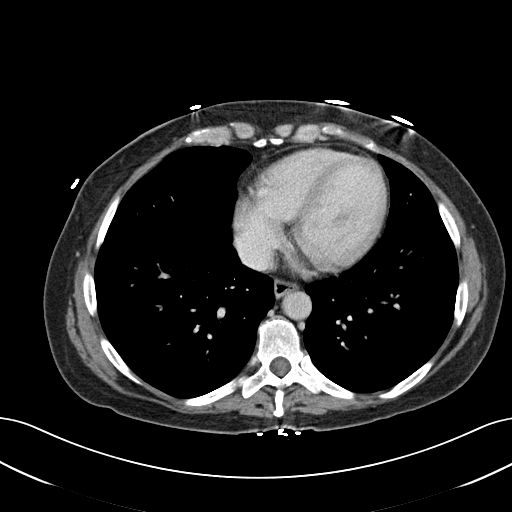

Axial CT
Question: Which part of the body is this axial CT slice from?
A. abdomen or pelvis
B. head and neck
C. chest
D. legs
Answer: C. chest
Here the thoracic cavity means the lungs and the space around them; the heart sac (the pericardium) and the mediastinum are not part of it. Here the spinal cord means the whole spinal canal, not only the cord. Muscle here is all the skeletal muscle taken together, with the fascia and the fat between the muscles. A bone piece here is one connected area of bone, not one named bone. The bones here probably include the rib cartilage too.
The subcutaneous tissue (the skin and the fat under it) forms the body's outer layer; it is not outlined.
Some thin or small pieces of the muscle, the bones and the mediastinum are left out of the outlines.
The muscle appears in 4 outlined pieces: piece 1: 187,134 183,140 187,146 168,153 140,177 122,197 117,193 108,204 98,227 94,244 94,250 97,254 93,274 85,270 82,277 84,303 88,313 92,317 98,316 99,318 105,334 99,337 99,344 105,356 119,372 132,382 141,386 145,385 145,382 170,396 183,399 182,403 190,407 210,404 233,393 237,388 240,388 242,397 246,399 263,386 269,385 274,388 274,409 272,411 274,417 272,418 244,415 236,410 221,413 183,413 155,402 123,394 98,377 82,361 66,330 65,317 68,299 74,290 76,265 99,216 114,193 135,169 169,146 174,140; piece 2: 375,142 419,167 457,208 485,266 487,295 481,318 453,357 425,381 394,400 374,407 283,416 284,389 294,383 312,394 323,392 346,400 353,400 356,393 383,391 377,394 380,399 401,395 427,374 435,362 432,356 451,326 458,328 465,317 468,281 459,280 456,251 461,239 453,215 442,201 436,203 424,183 403,162 391,158; piece 3: 292,122 301,122 302,123 307,123 308,122 313,122 314,123 317,123 318,122 331,122 332,123 335,123 336,124 342,125 350,130 356,131 360,134 367,136 372,139 368,139 362,136 360,136 357,134 351,133 348,131 346,131 342,129 340,127 336,127 331,124 325,124 324,125 320,126 317,123 303,123 302,124 299,124 295,126 292,123 290,123; piece 4: 233,121 242,121 243,122 247,122 251,124 254,124 255,125 257,125 259,126 262,129 264,130 267,130 270,128 272,128 276,126 278,124 282,124 280,125 278,125 274,127 272,130 272,133 270,135 268,136 264,136 263,135 261,135 260,136 258,136 256,137 256,130 255,128 252,125 248,123 244,123 243,122 237,122 236,121. The pericardium is outlined by 333,143 358,147 369,153 381,166 385,174 389,188 389,207 385,224 375,243 359,260 338,274 308,281 287,273 261,270 244,263 234,245 232,231 232,216 238,195 237,184 242,176 260,158 278,150 297,145. The torso is outlined by 247,99 329,102 394,122 436,145 471,184 497,229 505,257 506,280 490,347 461,387 421,408 347,428 220,434 171,428 122,416 86,402 64,381 46,336 43,288 52,250 84,180 119,148 159,124 212,104. The mediastinum appears in 2 outlined pieces: piece 1: 244,264 261,271 287,274 305,282 314,279 323,278 316,279 308,283 305,286 305,292 310,297 312,306 311,312 305,321 301,338 294,324 283,317 274,317 262,321 269,310 274,305 275,295 273,289 273,280 270,276 248,267; piece 2: 285,139 295,143 312,143 329,139 343,140 377,154 378,162 369,152 354,145 336,142 297,144 263,155 238,181 242,172 251,162 252,156 248,151 230,145 233,142 249,140 253,146 262,148 268,144 281,145. The spinal cord is outlined by 277,357 282,357 283,358 286,359 288,361 288,362 290,365 290,368 289,369 289,370 284,375 283,375 282,376 278,376 275,373 274,373 271,370 271,369 270,368 270,364 271,363 271,362 275,358 276,358. The thoracic cavity appears in 2 outlined pieces: piece 1: 198,145 231,146 244,150 251,156 236,182 237,195 231,216 231,243 242,264 271,278 274,301 257,326 255,350 243,370 206,393 180,398 144,381 130,368 108,339 98,315 93,275 98,252 128,190 171,152; piece 2: 378,155 403,165 429,191 455,250 458,283 451,325 431,357 388,389 355,392 322,373 308,352 302,348 301,339 313,306 306,286 316,280 338,276 350,268 371,249 383,233 390,207 390,185 377,158. The bones appear in 8 outlined pieces: piece 1: 274,318 293,324 301,348 315,367 354,392 353,399 323,391 312,393 294,382 283,389 284,413 279,417 273,414 275,388 269,384 246,398 237,387 204,405 183,403 184,399 206,394 239,375 256,350 259,324; inner edge: 277,357 282,357 283,358 286,359 288,361 288,362 290,365 290,368 289,369 289,370 284,375 283,375 282,376 278,376 275,373 274,373 271,370 271,369 270,368 270,364 271,363 271,362 275,358 276,358; piece 2: 232,121 252,126 256,138 268,137 274,128 287,123 295,127 331,125 372,140 391,157 335,136 312,142 295,142 288,136 281,144 262,147 253,145 252,138 234,136 229,145 188,145 184,140 192,131 228,126; piece 3: 432,357 434,357 434,362 433,363 433,365 426,373 426,374 417,383 416,383 409,389 408,389 406,391 403,392 401,394 393,398 380,398 378,396 378,394 379,393 390,389 396,384 397,384 402,380 405,379; piece 4: 102,335 105,336 107,338 107,339 113,346 115,350 118,353 124,362 129,367 129,368 144,382 145,384 143,385 137,384 124,375 116,368 116,367 106,356 105,353 101,347 101,345 100,344 100,337; piece 5: 461,279 465,279 467,281 468,297 467,298 467,306 466,307 464,317 462,320 461,324 458,327 457,327 456,326 454,326 452,323 453,322 453,318 454,317 455,297 457,292 458,284 459,283 459,281; piece 6: 438,201 442,202 446,206 446,207 452,215 455,221 455,223 457,226 457,229 459,232 460,244 459,245 458,249 456,250 446,230 446,228 443,223 443,221 440,216 440,214 438,210 438,207 437,206 437,202; piece 7: 85,271 88,271 91,273 93,276 93,280 94,281 94,285 95,286 95,297 97,302 97,315 95,316 92,316 89,313 88,309 86,306 84,296 83,295 83,286 82,285 82,283 83,282 83,277 84,276; piece 8: 117,194 120,195 121,199 111,220 111,222 109,225 109,227 107,230 107,232 105,235 103,242 101,244 98,251 96,251 95,250 95,244 97,239 97,235 98,234 99,227 101,224 102,219 109,206 109,204.